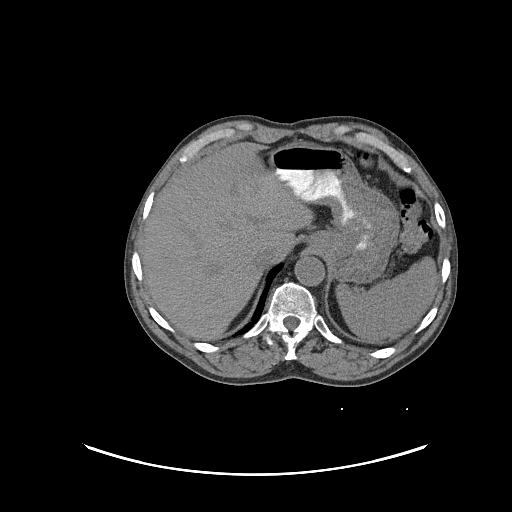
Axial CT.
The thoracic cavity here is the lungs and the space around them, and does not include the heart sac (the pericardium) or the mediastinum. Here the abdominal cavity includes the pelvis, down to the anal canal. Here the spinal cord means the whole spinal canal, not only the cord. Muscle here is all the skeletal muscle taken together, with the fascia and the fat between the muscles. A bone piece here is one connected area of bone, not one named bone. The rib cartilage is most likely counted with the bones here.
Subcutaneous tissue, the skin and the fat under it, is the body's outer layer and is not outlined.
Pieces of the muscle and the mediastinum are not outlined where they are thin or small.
{"spinal_cord":[[[290,316],[291,316],[292,317],[295,317],[296,318],[297,318],[299,320],[299,323],[297,325],[297,326],[295,328],[294,328],[292,330],[289,330],[285,326],[285,325],[284,324],[284,319],[285,318],[286,318],[287,317],[289,317]]],"abdominal_cavity":[[[296,134],[344,139],[378,153],[433,206],[439,286],[418,325],[392,345],[353,343],[319,313],[327,265],[317,254],[274,266],[249,321],[227,339],[190,338],[148,295],[140,258],[144,228],[154,198],[173,174],[222,141],[243,137],[272,143]]],"thoracic_cavity":[[[279,264],[282,264],[282,266],[273,278],[267,293],[267,299],[268,300],[269,299],[269,301],[266,310],[261,314],[257,321],[248,330],[241,335],[233,336],[238,330],[250,321],[256,309],[260,299],[260,296],[264,289],[266,283],[266,278],[269,272]]],"torso":[[[236,114],[280,122],[359,116],[385,126],[416,153],[449,206],[457,236],[458,273],[449,317],[435,341],[415,360],[384,379],[355,387],[297,378],[231,385],[190,370],[160,349],[143,330],[124,286],[124,249],[132,216],[150,180],[188,133],[211,120]]],"mediastinum":[[[302,255],[317,255],[324,259],[325,261],[326,291],[323,299],[323,303],[318,310],[315,298],[312,293],[305,286],[294,281],[286,281],[276,286],[268,299],[268,293],[271,284],[276,275],[282,268],[283,264],[284,263],[285,266]],[[348,140],[350,140],[354,142],[357,142],[358,143],[361,143],[362,144],[366,144],[370,146],[373,146],[381,150],[388,156],[388,157],[396,166],[405,173],[409,174],[415,180],[423,191],[419,188],[396,176],[382,159],[378,152],[366,146],[364,146]]],"bones":[{"outer":[[286,282],[299,284],[311,293],[318,313],[331,331],[343,340],[342,343],[328,340],[313,328],[295,346],[297,358],[286,360],[284,357],[287,353],[287,346],[278,333],[270,334],[271,344],[263,339],[265,330],[257,335],[242,337],[267,310],[275,288]],"hole":[[290,316],[291,316],[292,317],[295,317],[296,318],[297,318],[299,320],[299,323],[297,325],[297,326],[295,328],[294,328],[292,330],[289,330],[285,326],[285,325],[284,324],[284,319],[285,318],[286,318],[287,317],[289,317]]},[[239,123],[249,123],[251,124],[253,127],[251,130],[248,131],[238,130],[237,132],[241,135],[237,137],[222,138],[212,141],[204,145],[191,158],[184,162],[179,161],[180,156],[185,148],[190,143],[197,140],[207,133],[228,127],[234,128]],[[357,131],[362,131],[369,134],[372,134],[390,146],[393,147],[406,158],[409,165],[412,168],[411,172],[410,173],[407,173],[402,170],[396,165],[389,156],[381,149],[373,145],[370,145],[366,143],[362,143],[361,142],[358,142],[349,139],[349,138]],[[433,306],[436,306],[437,307],[437,312],[436,313],[434,318],[426,327],[425,327],[423,329],[422,329],[419,332],[418,332],[417,333],[414,333],[414,330],[419,325],[419,324],[420,323],[420,322],[422,320],[422,319],[426,315],[426,314]],[[149,306],[152,306],[159,313],[159,314],[175,330],[175,331],[174,332],[171,332],[169,330],[167,330],[165,328],[164,328],[163,327],[162,327],[151,316],[151,315],[150,314],[150,313],[149,312],[149,311],[148,310],[148,307]],[[134,251],[136,251],[138,253],[138,254],[139,255],[139,258],[140,259],[140,263],[141,264],[141,271],[142,272],[142,280],[141,281],[139,281],[138,280],[138,279],[137,278],[137,277],[132,268],[132,264],[131,263],[131,258],[132,257],[132,254]],[[435,201],[437,201],[440,204],[440,205],[442,207],[444,211],[444,214],[445,215],[445,227],[444,228],[442,228],[440,227],[437,223],[437,221],[436,220],[436,217],[435,216],[435,212],[434,211],[434,206],[433,205]],[[389,346],[393,346],[395,348],[395,351],[392,354],[391,354],[387,357],[384,357],[383,358],[377,358],[376,357],[373,357],[372,356],[370,356],[369,355],[369,354],[371,352],[372,352],[377,349],[380,349],[381,348],[383,348],[384,347],[388,347]],[[194,342],[206,342],[207,343],[209,343],[210,344],[212,344],[213,345],[215,345],[216,346],[219,347],[219,350],[217,350],[216,351],[214,351],[213,352],[204,352],[203,351],[201,351],[200,350],[197,349],[193,345],[193,343]],[[444,257],[447,257],[449,259],[449,260],[450,261],[450,271],[449,272],[449,274],[448,275],[448,276],[447,277],[447,279],[446,280],[446,281],[444,283],[442,283],[441,282],[441,268],[442,267],[442,260],[443,259],[443,258]],[[151,191],[153,191],[154,192],[154,197],[153,198],[153,201],[152,202],[152,204],[151,205],[151,207],[150,208],[149,213],[146,219],[144,220],[142,217],[142,215],[143,214],[143,209],[144,208],[144,204],[145,203],[145,201],[148,195]],[[340,125],[347,125],[348,126],[349,126],[351,128],[351,130],[349,132],[347,132],[346,133],[345,133],[342,135],[340,135],[339,136],[338,136],[337,135],[335,135],[333,133],[333,132],[332,131],[332,130],[334,128],[335,128],[336,127],[337,127]]],"muscle":[{"outer":[[233,120],[286,129],[333,122],[361,123],[383,132],[418,164],[442,201],[452,233],[451,295],[440,322],[426,341],[386,370],[354,380],[327,378],[291,361],[298,358],[296,346],[313,329],[335,344],[344,342],[340,336],[356,345],[380,348],[368,355],[383,359],[396,351],[396,342],[426,328],[438,312],[433,305],[440,286],[438,226],[446,227],[446,215],[437,200],[432,205],[410,174],[413,168],[407,158],[372,133],[357,130],[348,139],[334,140],[296,133],[264,142],[240,136],[238,131],[253,129],[249,122],[212,130],[184,148],[178,158],[184,163],[155,196],[151,190],[144,201],[141,250],[139,254],[132,252],[130,263],[137,280],[143,280],[151,301],[147,307],[150,316],[171,333],[175,328],[192,340],[202,341],[192,343],[197,350],[213,353],[220,347],[210,343],[237,336],[247,339],[265,331],[262,339],[268,345],[273,343],[272,333],[280,336],[286,346],[283,358],[289,361],[258,376],[224,377],[174,350],[148,327],[135,303],[129,270],[131,236],[141,205],[161,171],[184,145],[209,127]],"holes":[[[444,257],[447,257],[449,259],[449,260],[450,261],[450,271],[449,272],[449,274],[448,275],[448,276],[447,277],[447,279],[446,280],[446,281],[444,283],[442,283],[441,282],[441,268],[442,267],[442,260],[443,259],[443,258]],[[340,125],[347,125],[348,126],[349,126],[351,128],[351,130],[349,132],[347,132],[346,133],[345,133],[342,135],[340,135],[339,136],[338,136],[337,135],[335,135],[333,133],[333,132],[332,131],[332,130],[334,128],[335,128],[336,127],[337,127]]]},[[222,139],[229,139],[226,139],[225,140],[222,140],[221,141],[220,141],[219,142],[218,142],[209,147],[207,147],[206,148],[205,148],[204,149],[199,151],[204,146],[205,146],[212,142],[214,142],[215,141],[217,141],[218,140],[221,140]],[[328,324],[329,325],[330,326],[330,327],[331,328],[332,329],[333,330],[334,331],[335,332],[336,333],[337,334],[338,335],[337,335],[336,334],[335,333],[334,333],[333,332],[332,331],[332,330],[331,329],[330,328],[329,327],[329,326],[328,325]]]}